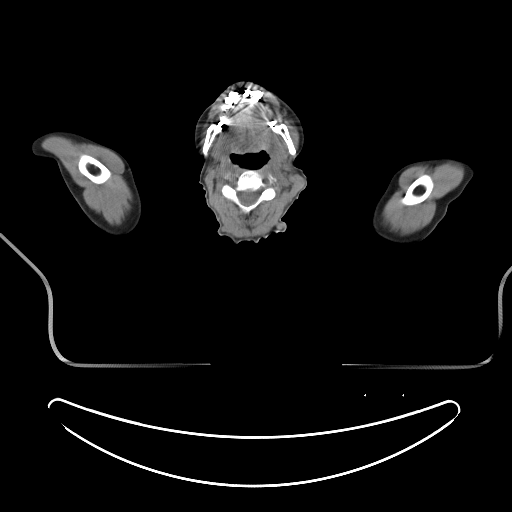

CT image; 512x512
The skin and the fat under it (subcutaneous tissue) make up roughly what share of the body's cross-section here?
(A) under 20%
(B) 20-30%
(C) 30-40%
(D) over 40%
Answer: (B) 20-30%
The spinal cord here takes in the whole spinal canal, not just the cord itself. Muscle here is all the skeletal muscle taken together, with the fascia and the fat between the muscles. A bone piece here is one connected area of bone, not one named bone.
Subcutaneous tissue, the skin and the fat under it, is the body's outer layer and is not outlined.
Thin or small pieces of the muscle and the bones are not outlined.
Outlines:
muscle 1: 265,95 278,100 298,130 296,149 284,123 277,123 275,118 266,123 284,141 303,185 283,210 277,226 259,235 236,237 222,229 210,203 204,179 207,157 221,126 229,122 226,110 241,98 250,96 257,101, around a hole outlined by 262,151 267,155 267,159 257,169 265,182 267,181 268,174 275,178 271,184 275,191 275,196 270,200 262,201 246,214 233,201 226,198 222,194 221,189 223,185 234,182 245,168 232,160 232,154 255,154
muscle 2: 50,136 63,136 76,142 84,142 97,145 113,152 121,159 124,164 123,176 132,193 133,200 130,212 120,225 109,224 100,214 96,213 88,206 83,198 82,188 72,179 60,160 41,146 42,141 with a hole at 82,154 87,154 88,155 90,155 94,158 100,161 110,171 111,173 111,177 107,181 101,184 97,184 96,183 94,183 91,180 90,180 87,177 86,177 82,173 80,172 78,168 78,160 79,159 79,157
muscle 3: 449,161 461,164 465,169 464,176 460,183 454,189 437,200 435,213 426,226 413,233 401,235 397,232 391,231 388,227 382,224 382,209 389,198 398,188 398,179 404,170 414,165 428,164 431,166 435,166 with a hole at 423,174 427,174 429,175 431,177 433,181 433,188 428,197 427,197 423,201 419,203 414,204 413,205 404,205 402,204 400,202 400,200 405,194 405,192 408,188 408,187 414,180 415,180 418,177 419,177
muscle 4: 226,94 227,94 224,97 224,102 222,103 218,107 218,109 214,112 217,117 218,122 212,122 207,127 205,132 203,143 201,147 199,142 201,137 201,132 202,131 203,124 206,121 207,116 213,106
spinal cord: 246,190 250,190 251,191 259,191 259,194 258,195 258,197 256,199 256,200 254,202 253,202 250,204 245,204 244,203 243,203 240,200 240,199 238,196 238,193 240,191 245,191
head and neck: 240,79 252,79 274,91 299,117 304,144 294,163 304,171 307,185 282,218 285,231 272,233 257,243 243,241 235,244 217,234 218,223 206,204 204,190 198,181 203,160 194,146 194,129 203,110 229,84 with a hole at 262,151 265,152 265,153 267,155 267,159 261,166 257,168 244,167 240,165 238,163 236,163 234,161 233,161 231,157 231,155 232,154 238,154 239,155 243,155 244,154 255,154 256,153 258,153
left arm: 442,156 453,156 466,160 473,166 474,174 462,193 449,204 446,214 434,230 423,240 407,246 394,245 378,237 372,229 371,224 372,214 376,203 386,189 390,179 395,172 402,166 410,162 425,158 435,158
right arm: 51,130 67,130 81,134 113,148 127,160 139,191 142,204 141,217 133,230 122,236 113,236 107,234 98,228 84,214 68,190 60,175 55,162 49,158 39,157 33,154 31,150 31,144 34,139 41,134
bones 1: 245,168 257,169 263,176 263,179 265,182 267,181 268,174 271,174 275,178 275,180 271,184 271,186 273,187 275,191 275,196 270,200 262,201 248,214 244,213 233,201 226,198 221,192 223,185 234,182, around a hole outlined by 246,190 250,190 251,191 259,191 259,194 258,195 258,197 256,199 256,200 254,202 253,202 250,204 245,204 244,203 243,203 240,200 240,199 238,196 238,193 240,191 245,191
bones 2: 247,84 251,85 251,91 261,89 272,95 265,94 257,100 250,95 241,97 234,106 227,108 224,113 228,122 220,126 221,129 205,157 202,146 207,129 212,123 219,122 215,112 231,90 242,94
bones 3: 82,154 87,154 88,155 90,155 94,158 100,161 110,171 111,173 111,177 107,181 101,184 97,184 96,183 94,183 91,180 90,180 87,177 86,177 82,173 80,172 78,168 78,160 79,159 79,157
bones 4: 423,174 427,174 429,175 431,177 433,181 433,188 428,197 427,197 423,201 419,203 414,204 413,205 404,205 402,204 400,202 400,200 405,194 405,192 408,188 408,187 414,180 415,180 418,177 419,177
bones 5: 274,119 276,120 276,123 277,124 282,123 287,127 289,135 293,142 293,144 296,150 296,155 294,157 293,157 289,153 287,145 283,138 279,134 273,131 271,129 270,126 268,125 267,121 268,122 270,122